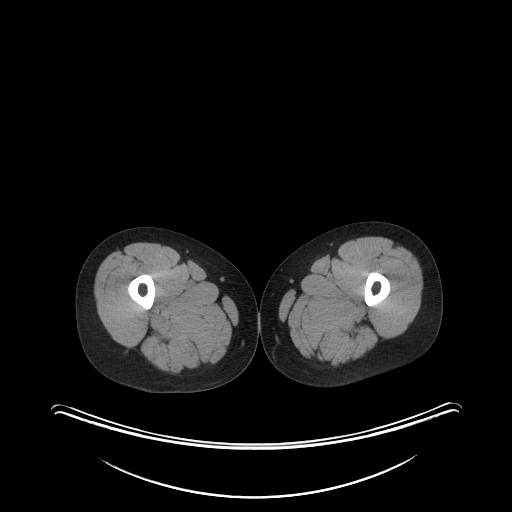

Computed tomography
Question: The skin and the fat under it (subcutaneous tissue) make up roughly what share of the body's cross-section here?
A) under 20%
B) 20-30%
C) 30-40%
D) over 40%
Answer: D) over 40%
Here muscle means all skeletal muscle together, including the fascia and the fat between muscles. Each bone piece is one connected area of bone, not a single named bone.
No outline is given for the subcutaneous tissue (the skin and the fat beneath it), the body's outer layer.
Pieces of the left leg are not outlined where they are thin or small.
{"muscle":[{"outer":[[143,241],[155,242],[170,246],[183,256],[196,262],[233,300],[236,305],[239,317],[238,327],[228,346],[227,352],[221,360],[201,373],[189,376],[171,376],[155,369],[138,353],[117,344],[108,334],[97,314],[93,286],[99,265],[111,252],[129,243]],"hole":[[144,273],[146,274],[150,274],[151,275],[154,281],[154,285],[155,286],[155,296],[154,297],[153,303],[151,307],[149,309],[147,309],[146,310],[136,302],[135,302],[130,297],[128,293],[128,291],[127,290],[127,287],[130,281],[135,277]]},{"outer":[[362,236],[383,236],[394,239],[414,254],[419,262],[423,276],[423,289],[419,311],[412,323],[403,334],[378,345],[364,357],[334,369],[315,367],[302,359],[297,350],[285,336],[278,317],[279,304],[283,295],[294,281],[316,259],[335,249],[345,241]],"hole":[[372,271],[377,271],[381,273],[389,280],[389,282],[390,283],[390,290],[387,296],[379,303],[378,303],[374,306],[368,306],[366,304],[364,300],[364,295],[363,294],[364,292],[364,283],[365,282],[365,280],[366,279],[367,274],[369,272],[371,272]]}],"left_leg":[[[367,220],[385,221],[401,225],[419,236],[431,251],[438,267],[443,292],[443,313],[438,335],[427,352],[415,361],[362,381],[334,388],[314,387],[296,382],[283,375],[272,365],[259,339],[259,304],[263,290],[278,265],[297,248],[330,229],[352,222]]],"right_leg":[[[136,226],[156,226],[188,235],[223,255],[243,274],[248,281],[258,305],[258,340],[254,356],[249,365],[233,380],[219,387],[199,392],[147,393],[110,381],[100,374],[86,358],[79,341],[75,317],[75,289],[79,271],[88,254],[103,239],[117,231]]],"bones":[[[144,273],[146,274],[150,274],[151,275],[154,281],[154,285],[155,286],[155,296],[154,297],[153,303],[151,307],[149,309],[147,309],[146,310],[136,302],[135,302],[130,297],[128,293],[128,291],[127,290],[127,287],[130,281],[135,277]],[[372,271],[377,271],[381,273],[389,280],[389,282],[390,283],[390,290],[387,296],[379,303],[378,303],[374,306],[368,306],[366,304],[364,300],[364,295],[363,294],[364,292],[364,283],[365,282],[365,280],[366,279],[367,274],[369,272],[371,272]]]}